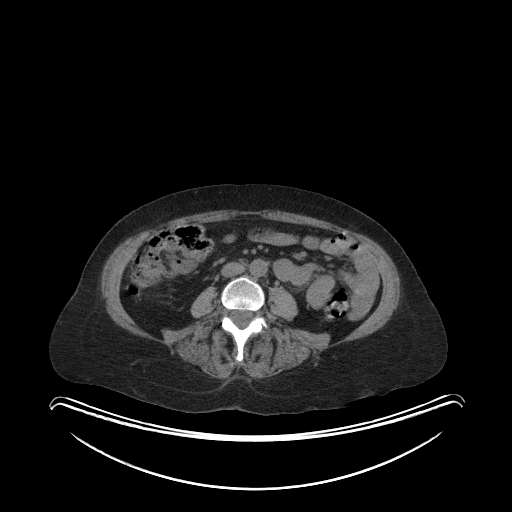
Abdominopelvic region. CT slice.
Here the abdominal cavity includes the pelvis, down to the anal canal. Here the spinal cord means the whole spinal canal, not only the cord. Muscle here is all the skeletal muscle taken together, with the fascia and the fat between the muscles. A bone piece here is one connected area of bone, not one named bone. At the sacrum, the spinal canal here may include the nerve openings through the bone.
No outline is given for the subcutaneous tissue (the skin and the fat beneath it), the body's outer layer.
Outlines (x, y in pixels):
muscle: [[220,209],[237,209],[238,210],[261,210],[262,209],[271,209],[272,210],[288,211],[293,213],[298,213],[303,215],[315,217],[332,223],[337,223],[348,229],[366,235],[378,243],[385,250],[396,266],[400,279],[400,297],[396,309],[393,312],[392,315],[387,322],[382,327],[376,331],[364,337],[355,339],[354,340],[351,340],[347,342],[344,342],[336,346],[328,348],[314,355],[309,360],[304,361],[298,366],[296,366],[288,370],[285,370],[276,375],[267,378],[261,378],[260,379],[254,379],[252,377],[248,376],[245,374],[240,368],[238,368],[232,374],[225,379],[224,378],[219,379],[218,378],[211,377],[207,374],[202,372],[198,367],[182,360],[179,356],[170,349],[168,349],[165,345],[130,333],[127,330],[118,325],[111,318],[106,311],[106,308],[105,307],[105,299],[102,296],[102,292],[101,291],[101,273],[103,269],[103,266],[110,254],[114,249],[125,239],[141,231],[150,229],[151,228],[154,228],[161,223],[166,222],[169,220],[178,217],[190,215],[195,213],[205,212],[206,211],[219,210]] with a hole at [[237,215],[356,241],[381,276],[376,307],[333,340],[289,325],[298,304],[282,286],[270,286],[259,310],[267,327],[247,339],[241,361],[221,326],[225,309],[213,285],[191,303],[189,324],[162,328],[161,337],[145,330],[120,297],[140,246],[177,226]]
torso: [[255,182],[289,185],[333,197],[367,214],[391,233],[413,263],[445,327],[447,358],[436,375],[417,385],[341,408],[259,415],[235,409],[205,413],[173,410],[104,387],[70,382],[55,372],[48,355],[52,327],[91,252],[117,220],[172,192],[210,184]]
spinal cord: [[233,310],[241,310],[242,311],[243,310],[245,310],[246,311],[250,311],[253,313],[253,317],[252,318],[252,319],[249,322],[249,323],[245,327],[244,327],[243,328],[240,328],[238,326],[237,326],[233,322],[233,321],[229,316],[230,315],[230,312]]
abdominal cavity: [[237,215],[356,241],[381,276],[376,307],[333,340],[326,331],[289,325],[299,312],[292,294],[274,285],[266,298],[243,274],[219,297],[213,285],[202,290],[189,307],[189,324],[162,328],[161,337],[145,330],[120,297],[124,270],[140,246],[177,226]]
bones: [[243,275],[258,283],[265,294],[265,302],[259,310],[259,314],[264,318],[267,327],[264,327],[260,332],[253,333],[247,339],[243,346],[243,359],[237,361],[235,359],[236,343],[231,334],[221,326],[220,319],[225,309],[221,303],[220,295],[229,281]]; inner edge: [[233,310],[241,310],[242,311],[243,310],[245,310],[246,311],[250,311],[253,313],[253,317],[252,318],[252,319],[249,322],[249,323],[245,327],[244,327],[243,328],[240,328],[238,326],[237,326],[233,322],[233,321],[229,316],[230,315],[230,312]]